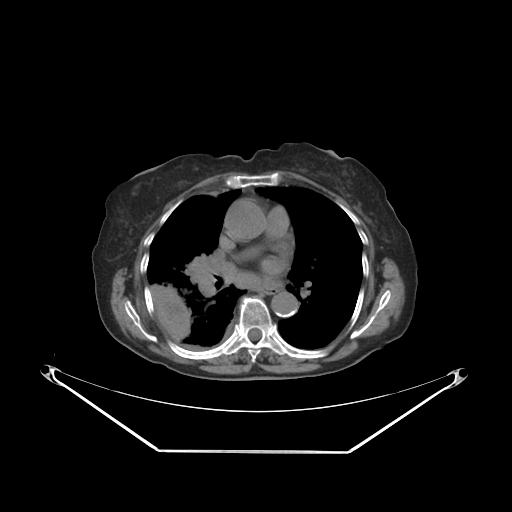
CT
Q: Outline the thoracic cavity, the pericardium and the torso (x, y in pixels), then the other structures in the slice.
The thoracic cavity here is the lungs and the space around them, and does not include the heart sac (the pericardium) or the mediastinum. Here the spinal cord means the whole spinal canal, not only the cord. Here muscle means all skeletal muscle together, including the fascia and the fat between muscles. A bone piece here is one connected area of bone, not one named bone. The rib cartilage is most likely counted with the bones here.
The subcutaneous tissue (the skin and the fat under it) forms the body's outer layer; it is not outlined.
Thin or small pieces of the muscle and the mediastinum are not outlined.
A: The thoracic cavity appears in 2 outlined pieces: piece 1: (234, 189) (240, 192) (225, 211) (218, 243) (213, 251) (226, 278) (237, 289) (245, 291) (238, 303) (237, 322) (233, 325) (231, 333) (217, 345) (202, 350) (188, 349) (170, 339) (154, 315) (154, 303) (146, 276) (149, 248) (160, 228) (185, 200) (199, 194) (216, 198); piece 2: (266, 186) (301, 186) (323, 195) (349, 217) (362, 244) (362, 279) (352, 313) (349, 321) (326, 346) (314, 349) (299, 348) (286, 341) (278, 330) (278, 322) (293, 316) (301, 305) (286, 287) (291, 282) (288, 274) (294, 259) (296, 239) (287, 209) (257, 191) (258, 188). The pericardium is outlined by (244, 196) (254, 196) (279, 203) (286, 209) (288, 213) (291, 226) (293, 229) (295, 246) (289, 269) (281, 279) (266, 280) (243, 275) (237, 275) (235, 273) (232, 273) (222, 261) (222, 258) (220, 256) (220, 236) (224, 227) (224, 220) (226, 214) (230, 206) (236, 200). The torso is outlined by (297, 141) (356, 158) (384, 185) (388, 200) (410, 235) (417, 259) (415, 308) (406, 331) (340, 371) (276, 380) (192, 377) (150, 362) (116, 341) (98, 313) (91, 264) (108, 193) (136, 173) (182, 154) (207, 152) (248, 158) (257, 149) (273, 149) (283, 142). The spinal cord is outlined by (254, 328) (255, 328) (256, 329) (258, 329) (260, 331) (260, 332) (261, 333) (261, 335) (260, 336) (260, 338) (257, 341) (252, 341) (249, 338) (249, 337) (248, 336) (248, 332) (251, 329) (253, 329). The mediastinum appears in 3 outlined pieces: piece 1: (219, 236) (219, 256) (232, 274) (258, 280) (276, 281) (281, 280) (289, 270) (287, 278) (290, 282) (285, 287) (299, 301) (299, 309) (290, 317) (281, 319) (276, 323) (263, 299) (256, 295) (246, 295) (244, 289) (237, 288) (231, 283) (214, 251) (218, 246); piece 2: (250, 186) (265, 186) (260, 186) (258, 187) (256, 189) (256, 191) (264, 197) (275, 201) (272, 201) (269, 199) (263, 198) (262, 197) (258, 197) (254, 195) (244, 195) (236, 199) (231, 205) (230, 205) (240, 194) (241, 192) (239, 189) (240, 188) (245, 188); piece 3: (223, 187) (226, 187) (227, 188) (229, 188) (230, 189) (233, 189) (231, 189) (230, 190) (228, 190) (225, 192) (223, 192) (222, 193) (219, 194) (216, 197) (214, 197) (213, 196) (210, 196) (206, 193) (206, 192) (207, 191) (214, 191) (215, 190) (218, 190). The muscle appears in 2 outlined pieces: piece 1: (229, 171) (249, 174) (230, 175) (224, 179) (225, 186) (180, 198) (162, 214) (158, 231) (150, 232) (143, 240) (143, 245) (149, 247) (139, 262) (147, 284) (143, 287) (145, 306) (169, 338) (166, 343) (176, 355) (207, 360) (245, 348) (254, 363) (261, 350) (267, 348) (298, 359) (327, 356) (333, 348) (328, 345) (346, 325) (349, 330) (353, 328) (364, 301) (361, 284) (370, 267) (363, 245) (369, 241) (364, 230) (356, 228) (360, 224) (356, 215) (372, 236) (374, 263) (387, 255) (403, 280) (405, 299) (396, 324) (360, 342) (342, 360) (316, 370) (287, 373) (259, 369) (239, 374) (208, 372) (170, 360) (151, 351) (143, 341) (125, 335) (110, 304) (115, 272) (122, 267) (133, 271) (142, 237) (170, 200) (203, 179) with holes at (386, 290) (389, 290) (390, 291) (390, 297) (388, 302) (377, 313) (376, 316) (372, 322) (366, 329) (365, 329) (358, 336) (354, 338) (350, 338) (350, 334) (353, 330) (359, 329) (369, 320) (370, 317) (375, 312) (376, 309) (378, 307) (379, 300) (382, 294) and at (127, 300) (129, 300) (130, 301) (135, 311) (139, 316) (140, 318) (140, 324) (142, 326) (144, 330) (149, 334) (153, 335) (157, 338) (157, 341) (156, 342) (152, 341) (148, 338) (147, 338) (141, 332) (139, 328) (133, 322) (131, 318) (127, 314) (125, 310) (125, 302); piece 2: (271, 170) (291, 171) (312, 180) (344, 199) (348, 203) (353, 212) (342, 203) (338, 201) (334, 202) (323, 194) (309, 187) (302, 186) (301, 185) (296, 185) (297, 183) (295, 181) (292, 181) (291, 182) (282, 181) (282, 176) (278, 171) (273, 171) (270, 173) (262, 173). The bones appear in 12 outlined pieces: piece 1: (243, 295) (256, 296) (263, 300) (279, 334) (290, 345) (305, 350) (332, 346) (331, 350) (322, 357) (298, 358) (278, 354) (263, 347) (254, 362) (245, 347) (231, 354) (207, 359) (192, 359) (176, 354) (167, 340) (192, 351) (207, 350) (223, 342) (238, 322) (239, 303); inner edge: (254, 328) (255, 328) (256, 329) (258, 329) (260, 331) (260, 332) (261, 333) (261, 335) (260, 336) (260, 338) (257, 341) (252, 341) (249, 338) (249, 337) (248, 336) (248, 332) (251, 329) (253, 329); piece 2: (273, 172) (278, 172) (281, 176) (281, 181) (280, 181) (278, 183) (278, 185) (250, 185) (249, 186) (246, 186) (245, 187) (240, 187) (239, 188) (230, 188) (229, 187) (227, 187) (225, 184) (225, 179) (233, 175) (256, 175) (257, 174) (270, 174); piece 3: (386, 290) (389, 290) (390, 291) (390, 297) (388, 302) (377, 313) (376, 316) (372, 322) (366, 329) (365, 329) (358, 336) (354, 338) (350, 338) (350, 334) (353, 330) (359, 329) (369, 320) (370, 317) (375, 312) (376, 309) (378, 307) (379, 300) (382, 294); piece 4: (127, 300) (129, 300) (130, 301) (135, 311) (139, 316) (140, 318) (140, 324) (142, 326) (144, 330) (149, 334) (153, 335) (157, 338) (157, 341) (156, 342) (152, 341) (148, 338) (147, 338) (141, 332) (139, 328) (133, 322) (131, 318) (127, 314) (125, 310) (125, 302); piece 5: (361, 287) (362, 287) (364, 289) (364, 293) (363, 294) (363, 301) (361, 305) (361, 309) (354, 325) (351, 329) (349, 329) (349, 322) (350, 321) (350, 318) (353, 313) (353, 311) (354, 310) (354, 308) (355, 307) (355, 305) (357, 301) (357, 298) (358, 297) (359, 290); piece 6: (145, 286) (147, 286) (149, 288) (149, 290) (151, 294) (151, 298) (152, 299) (152, 302) (153, 303) (153, 307) (154, 308) (154, 311) (152, 315) (150, 315) (149, 314) (148, 310) (147, 309) (147, 307) (146, 306) (146, 303) (145, 302) (145, 298) (144, 297) (144, 287); piece 7: (180, 199) (182, 199) (183, 200) (183, 201) (173, 210) (173, 211) (168, 216) (168, 217) (165, 220) (165, 221) (162, 224) (162, 225) (161, 226) (159, 224) (159, 223) (160, 222) (160, 219) (163, 215) (163, 214) (165, 212) (166, 212) (177, 201) (178, 201); piece 8: (337, 202) (338, 202) (339, 203) (340, 203) (341, 204) (342, 204) (344, 206) (345, 206) (349, 210) (350, 210) (358, 218) (358, 219) (359, 220) (359, 224) (358, 225) (355, 225) (355, 224) (352, 221) (352, 220) (350, 218) (350, 217) (336, 203); piece 9: (146, 252) (148, 252) (148, 253) (149, 254) (149, 258) (148, 259) (148, 262) (147, 263) (147, 268) (146, 269) (146, 272) (145, 273) (142, 274) (140, 271) (140, 262) (141, 261) (141, 259) (142, 258) (142, 257) (143, 256) (144, 253) (145, 253); piece 10: (363, 251) (366, 254) (366, 256) (367, 257) (367, 261) (368, 262) (368, 266) (369, 267) (369, 271) (368, 272) (368, 275) (367, 276) (367, 277) (365, 277) (364, 276) (363, 276) (363, 269) (362, 268) (362, 252); piece 11: (357, 228) (360, 228) (361, 229) (362, 229) (363, 230) (363, 231) (365, 233) (365, 234) (367, 237) (367, 240) (368, 241) (368, 242) (367, 243) (367, 244) (366, 244) (365, 245) (362, 243) (362, 242) (361, 241) (361, 239) (359, 236) (359, 234) (357, 231); piece 12: (152, 232) (153, 232) (155, 234) (155, 235) (154, 236) (154, 237) (153, 238) (153, 239) (152, 240) (152, 241) (151, 242) (151, 243) (149, 245) (149, 246) (145, 246) (144, 245) (144, 240) (146, 238) (146, 237) (150, 233) (151, 233).